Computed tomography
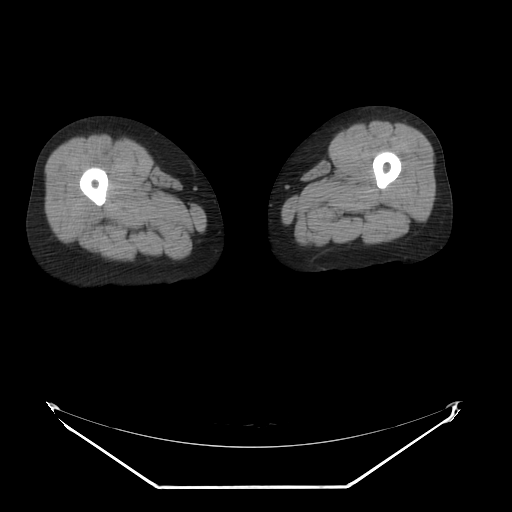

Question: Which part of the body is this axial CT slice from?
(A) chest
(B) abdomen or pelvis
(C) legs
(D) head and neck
Answer: (C) legs
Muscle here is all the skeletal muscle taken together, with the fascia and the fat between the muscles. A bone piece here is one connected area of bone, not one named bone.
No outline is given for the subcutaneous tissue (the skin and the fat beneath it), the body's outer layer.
{"muscle":[{"outer":[[93,133],[117,133],[127,135],[146,147],[163,171],[183,182],[191,190],[200,202],[209,220],[205,242],[193,257],[181,262],[116,263],[105,261],[92,254],[77,251],[62,244],[55,238],[44,212],[43,177],[45,163],[51,152],[62,143],[63,140]],"hole":[[90,167],[99,167],[103,169],[107,174],[107,177],[108,178],[108,186],[107,187],[107,191],[106,192],[106,198],[105,199],[104,203],[102,205],[97,205],[95,203],[94,203],[82,192],[79,186],[79,180],[80,179],[80,177],[82,173],[86,169]]},{"outer":[[382,117],[398,119],[413,125],[423,133],[434,146],[436,199],[427,223],[413,238],[382,246],[372,247],[365,250],[300,250],[294,245],[285,232],[280,220],[280,207],[294,180],[300,173],[308,169],[323,156],[327,149],[328,143],[337,132],[356,122]],"hole":[[381,151],[391,151],[395,153],[398,156],[401,162],[401,170],[398,176],[392,182],[391,182],[385,188],[383,189],[381,189],[377,186],[376,184],[376,181],[375,180],[375,177],[374,176],[374,173],[373,172],[373,169],[372,168],[372,162],[374,157]]}],"bones":[[[90,167],[99,167],[103,169],[107,174],[107,177],[108,178],[108,186],[107,187],[107,191],[106,192],[106,198],[105,199],[104,203],[102,205],[97,205],[95,203],[94,203],[82,192],[79,186],[79,180],[80,179],[80,177],[82,173],[86,169]],[[381,151],[391,151],[395,153],[398,156],[401,162],[401,170],[398,176],[392,182],[391,182],[385,188],[383,189],[381,189],[377,186],[376,184],[376,181],[375,180],[375,177],[374,176],[374,173],[373,172],[373,169],[372,168],[372,162],[374,157]]],"right_leg":[[[98,114],[125,116],[155,128],[179,146],[203,172],[216,195],[225,233],[221,257],[210,272],[191,281],[167,285],[133,288],[107,285],[86,290],[64,285],[52,279],[43,273],[35,263],[27,244],[25,217],[37,156],[45,142],[58,129],[76,119]]],"left_leg":[[[364,105],[390,105],[410,111],[423,119],[437,135],[443,149],[452,193],[453,222],[450,237],[445,246],[437,253],[412,264],[402,265],[388,262],[353,270],[293,271],[280,264],[273,257],[268,246],[267,208],[274,181],[290,153],[310,133],[332,116]]]}